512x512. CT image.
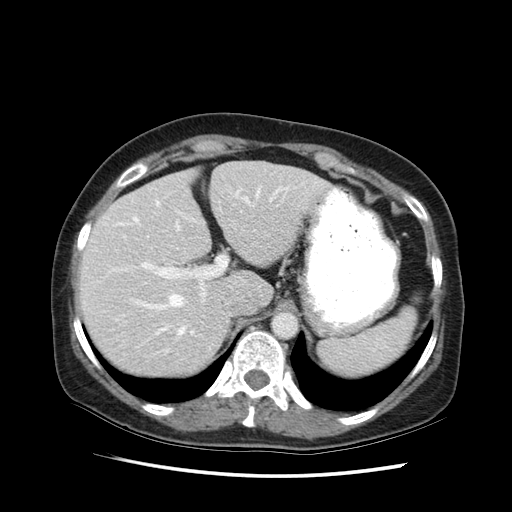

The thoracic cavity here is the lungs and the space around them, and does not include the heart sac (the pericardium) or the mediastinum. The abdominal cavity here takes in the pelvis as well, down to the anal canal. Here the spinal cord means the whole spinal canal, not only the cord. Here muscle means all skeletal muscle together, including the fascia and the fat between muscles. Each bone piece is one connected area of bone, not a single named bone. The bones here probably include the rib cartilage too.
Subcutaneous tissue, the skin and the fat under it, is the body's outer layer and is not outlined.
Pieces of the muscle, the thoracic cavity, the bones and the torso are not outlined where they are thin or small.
{"mediastinum":[[[289,363],[289,357],[292,348],[299,332],[301,331],[301,320],[293,310],[286,307],[280,307],[266,314],[261,320],[258,320],[257,322],[254,322],[247,326],[241,335],[249,331],[252,327],[256,329],[262,329],[268,331],[281,343],[286,353],[287,361]]],"bones":[{"outer":[[246,427],[255,425],[253,403],[263,396],[270,397],[282,410],[287,409],[289,396],[305,409],[313,407],[295,383],[280,343],[268,332],[254,328],[239,338],[216,379],[203,394],[230,397],[243,392],[250,400],[248,414],[242,421]],"hole":[[255,390],[265,385],[268,382],[269,380],[268,378],[268,376],[265,373],[264,373],[260,370],[251,370],[247,373],[246,373],[244,376],[244,378],[246,382],[253,389]]},[[120,188],[123,188],[130,183],[132,183],[134,181],[141,178],[148,171],[149,169],[149,166],[146,163],[144,163],[140,161],[135,162],[130,166],[129,166],[125,170],[124,170],[123,172],[122,172],[122,173],[120,175],[116,182],[116,187],[119,187]],[[362,178],[364,178],[364,177],[361,175],[357,171],[357,170],[350,166],[346,166],[344,165],[333,155],[329,153],[322,152],[321,151],[316,152],[314,154],[314,159],[316,162],[320,165],[325,166],[326,167],[331,167],[336,170],[339,170]],[[100,370],[102,369],[102,367],[95,357],[91,349],[91,347],[86,338],[86,336],[83,331],[81,321],[78,317],[78,316],[76,315],[73,319],[73,325],[74,326],[74,330],[77,336],[77,338],[86,355],[93,363],[93,364],[98,369]],[[406,379],[410,379],[412,378],[424,366],[425,363],[430,356],[432,352],[432,350],[435,345],[436,340],[437,339],[437,333],[435,330],[433,330],[432,331],[431,335],[429,338],[429,340],[423,352],[421,354],[417,363],[415,365],[413,369],[406,377]],[[426,222],[428,221],[428,215],[425,211],[423,206],[418,200],[418,199],[415,196],[414,196],[409,192],[407,192],[406,191],[403,192],[402,194],[402,199],[403,201],[406,204],[406,205],[407,205],[408,207],[410,208],[410,209],[419,220],[423,220]],[[344,425],[357,424],[362,421],[364,421],[370,418],[377,412],[379,407],[377,405],[376,405],[374,407],[370,409],[368,409],[367,410],[365,410],[364,411],[356,413],[353,415],[350,415],[349,416],[346,416],[345,417],[338,417],[337,418],[337,420]],[[198,155],[201,155],[202,153],[207,153],[208,152],[210,152],[211,151],[214,151],[215,150],[220,150],[224,147],[224,145],[221,142],[219,141],[216,141],[215,140],[201,140],[200,141],[198,141],[191,146],[191,149],[196,153],[198,153],[199,154]],[[433,291],[436,290],[440,286],[441,284],[441,278],[442,277],[442,264],[441,263],[441,260],[439,256],[435,254],[432,254],[430,256],[430,263],[431,264],[431,268],[432,269],[432,276],[433,277],[433,282],[434,283],[434,286],[433,287]],[[157,415],[168,415],[169,414],[170,414],[174,410],[174,407],[172,407],[171,406],[166,406],[163,404],[155,404],[154,403],[151,403],[150,402],[145,402],[144,403],[141,404],[141,407],[143,409],[144,409],[151,413],[153,413],[154,414],[156,414]],[[79,251],[81,251],[83,249],[83,247],[85,245],[85,242],[87,239],[87,237],[89,234],[89,231],[91,228],[91,225],[92,224],[92,222],[91,221],[86,221],[80,228],[80,230],[79,231],[79,234],[78,235],[78,238],[77,239],[77,247]]],"torso":[[[293,454],[341,450],[401,435],[431,423],[450,403],[458,380],[465,310],[453,217],[441,192],[421,168],[369,138],[242,112],[204,112],[172,119],[134,136],[106,157],[60,228],[50,278],[53,358],[59,383],[75,405],[152,440],[201,449],[242,447]]],"abdominal_cavity":[[[349,380],[395,363],[431,318],[433,283],[423,229],[409,208],[391,196],[295,152],[265,147],[170,163],[124,188],[94,221],[78,270],[81,320],[93,345],[122,373],[177,379],[196,375],[247,325],[286,306],[302,320],[310,359],[329,374]]],"muscle":[[[306,439],[334,436],[376,419],[391,410],[413,392],[429,377],[441,361],[445,328],[443,303],[446,294],[446,275],[444,259],[433,221],[427,209],[419,199],[429,215],[428,222],[426,223],[420,221],[424,229],[428,251],[430,255],[432,253],[439,255],[443,264],[442,284],[433,293],[433,329],[435,329],[438,333],[438,339],[433,352],[425,366],[412,379],[405,379],[389,395],[376,404],[380,408],[374,416],[357,425],[344,426],[336,420],[338,416],[355,413],[336,412],[326,410],[315,405],[311,410],[305,410],[289,397],[289,406],[286,411],[282,411],[268,397],[263,397],[255,402],[256,413],[254,420],[256,425],[253,428],[248,428],[253,430],[258,428],[283,436]],[[183,432],[210,431],[242,425],[241,421],[247,414],[248,398],[241,392],[230,398],[219,398],[217,394],[207,398],[202,394],[187,401],[164,404],[174,406],[175,410],[168,416],[157,416],[140,407],[140,404],[146,401],[122,388],[103,368],[98,370],[83,352],[72,325],[76,314],[80,318],[77,301],[77,270],[81,253],[76,247],[78,231],[69,264],[72,292],[67,301],[73,353],[86,370],[116,398],[140,413]],[[404,204],[401,194],[403,191],[408,190],[376,170],[351,160],[339,151],[314,143],[274,143],[222,134],[199,134],[152,152],[135,161],[140,160],[150,166],[145,176],[167,166],[170,162],[187,160],[196,156],[198,154],[193,152],[190,146],[201,139],[215,139],[225,145],[222,150],[211,152],[213,153],[234,153],[250,148],[278,146],[314,160],[313,154],[321,150],[333,154],[344,164],[354,167],[365,177],[362,179]],[[83,223],[86,220],[91,220],[93,222],[95,218],[97,217],[107,204],[109,203],[117,195],[117,194],[119,193],[120,191],[121,191],[122,189],[116,188],[115,187],[115,182],[119,175],[111,183],[109,187],[96,202],[96,203],[92,206],[86,213]]],"thoracic_cavity":[[[349,412],[358,412],[373,406],[405,378],[416,363],[428,340],[432,330],[431,319],[414,346],[395,364],[375,375],[355,381],[336,378],[316,366],[305,352],[304,337],[303,333],[300,332],[288,364],[293,370],[294,379],[302,393],[311,402],[320,407]],[[155,403],[183,401],[203,393],[215,379],[223,363],[231,353],[236,341],[240,336],[240,333],[230,347],[217,360],[203,372],[196,376],[182,380],[145,379],[122,374],[108,364],[92,345],[83,325],[84,331],[92,349],[106,371],[122,387],[132,394]]],"spinal_cord":[[[255,390],[265,385],[268,382],[269,380],[268,378],[268,376],[265,373],[264,373],[260,370],[251,370],[247,373],[246,373],[244,376],[244,378],[246,382],[253,389]]]}